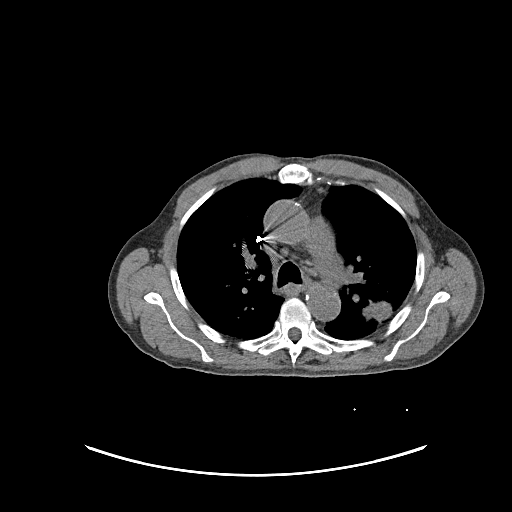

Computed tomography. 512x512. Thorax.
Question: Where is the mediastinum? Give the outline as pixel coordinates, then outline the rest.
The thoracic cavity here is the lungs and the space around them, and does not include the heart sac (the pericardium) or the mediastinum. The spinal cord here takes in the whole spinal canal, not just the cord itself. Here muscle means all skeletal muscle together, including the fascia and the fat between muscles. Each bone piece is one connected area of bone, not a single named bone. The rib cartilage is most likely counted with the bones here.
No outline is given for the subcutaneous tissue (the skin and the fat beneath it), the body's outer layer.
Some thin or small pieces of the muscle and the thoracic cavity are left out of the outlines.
Answer: The mediastinum is outlined by 315,182 331,185 321,208 335,230 336,247 343,259 338,292 340,311 322,328 317,326 308,307 301,299 293,296 284,300 272,292 273,265 255,239 269,206 278,200 295,197 301,191 299,185 311,185. The spinal cord is outlined by 291,328 297,328 298,329 299,329 299,330 300,331 300,337 298,339 297,339 296,340 293,340 292,339 291,339 289,337 289,336 288,335 288,331. The muscle is outlined by 254,156 285,162 275,177 248,177 218,190 214,185 178,223 170,283 183,308 188,311 191,305 202,318 196,325 208,339 224,344 224,336 230,336 238,340 239,349 263,356 286,349 293,367 304,348 327,356 373,346 376,342 368,336 384,325 382,335 389,336 410,314 412,304 403,304 411,288 415,294 421,289 425,254 417,250 407,214 376,186 370,190 315,175 300,163 324,158 354,162 397,180 414,197 433,249 442,255 452,247 467,256 476,294 466,319 423,355 361,369 227,369 166,355 149,345 126,322 117,303 122,260 163,236 186,187, around holes outlined by 151,291 156,292 161,296 164,303 164,306 167,310 174,325 183,334 194,339 199,343 213,359 212,362 205,362 203,361 201,357 200,350 193,343 182,338 170,326 165,313 159,305 149,303 144,299 144,295 and by 441,290 447,292 450,296 449,298 444,302 434,304 429,310 426,322 422,328 412,338 399,346 390,361 385,361 383,359 384,356 391,351 395,343 399,339 403,339 411,334 421,323 425,315 425,310 432,297. The torso is outlined by 251,152 284,157 345,153 380,161 402,175 437,216 468,243 477,258 484,279 484,298 469,329 429,363 362,375 218,375 175,368 138,349 116,323 108,302 108,277 118,252 134,233 158,215 184,181 222,159. The thoracic cavity appears in 2 outlined pieces: piece 1: 253,177 275,178 281,184 298,185 300,191 293,197 278,199 268,206 254,239 272,265 271,292 283,299 277,318 267,333 254,338 238,339 224,335 205,322 189,302 177,270 177,244 189,218 214,193 235,182; piece 2: 348,184 356,184 374,192 393,208 406,222 416,248 413,282 401,307 387,323 366,337 355,339 336,338 319,329 334,320 341,311 339,292 344,268 344,259 337,247 336,230 324,213 322,206 332,185 345,186. The bones appear in 10 outlined pieces: piece 1: 293,297 305,304 317,328 327,335 341,340 369,338 374,340 375,343 351,351 333,351 327,355 304,347 293,366 286,348 277,349 267,355 239,348 236,344 239,340 258,338 270,332 278,318 281,305 284,301; inner edge: 291,328 297,328 298,329 299,329 299,330 300,331 300,337 298,339 297,339 296,340 293,340 292,339 291,339 289,337 289,336 288,335 288,331; piece 2: 287,163 299,163 302,165 304,165 315,176 318,176 320,175 330,179 341,179 342,180 347,181 349,183 345,185 335,185 334,184 328,184 324,181 315,181 311,184 281,183 276,178 276,176 278,171; piece 3: 151,291 156,292 161,296 164,303 164,306 167,310 174,325 183,334 194,339 199,343 213,359 212,362 205,362 203,361 201,357 200,350 193,343 182,338 170,326 165,313 159,305 149,303 144,299 144,295; piece 4: 441,290 447,292 450,296 449,298 444,302 434,304 429,310 426,322 422,328 412,338 399,346 390,361 385,361 383,359 384,356 391,351 395,343 399,339 403,339 411,334 421,323 425,315 425,310 432,297; piece 5: 171,265 173,265 176,268 176,270 178,274 178,277 179,278 179,281 180,282 182,290 188,302 190,304 190,306 188,310 185,309 180,303 174,292 174,290 173,289 173,287 171,283 170,274 169,273 169,267; piece 6: 407,303 410,303 411,304 411,310 409,314 407,316 407,317 404,320 404,321 394,331 393,331 389,335 387,336 384,336 383,335 385,331 386,325 388,323 388,322 396,314 396,313 404,305 405,305; piece 7: 214,186 215,186 217,188 216,189 216,191 214,192 191,214 191,215 184,224 181,231 179,233 178,233 179,223 180,222 181,218 183,216 185,212 200,196 201,196 205,192 206,192; piece 8: 418,250 421,250 424,254 424,277 423,278 423,281 422,282 422,284 420,287 419,291 415,293 414,289 412,287 412,286 413,285 413,283 414,282 414,279 415,278 415,273 416,272 416,264 417,263 417,251; piece 9: 197,321 201,321 204,323 206,323 213,329 216,330 218,332 219,332 221,334 222,334 225,338 226,341 224,343 219,343 218,342 215,342 211,339 208,338 200,330 200,329 198,327 198,326 197,325; piece 10: 374,187 376,187 380,189 385,193 386,193 400,206 400,207 406,214 406,216 407,217 408,222 407,222 404,219 404,218 393,207 392,207 387,202 386,202 378,194 377,194 374,191 373,191 373,188.